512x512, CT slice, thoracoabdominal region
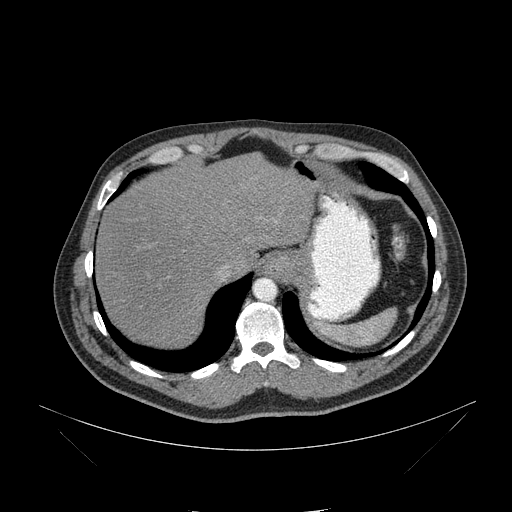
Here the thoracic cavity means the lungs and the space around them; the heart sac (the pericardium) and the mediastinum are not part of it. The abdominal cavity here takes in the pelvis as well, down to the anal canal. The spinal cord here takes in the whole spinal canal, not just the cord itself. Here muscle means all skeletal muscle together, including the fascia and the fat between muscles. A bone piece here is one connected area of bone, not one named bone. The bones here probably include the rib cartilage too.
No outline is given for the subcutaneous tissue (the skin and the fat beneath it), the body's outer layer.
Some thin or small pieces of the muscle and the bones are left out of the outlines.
The muscle is outlined by 207,408 219,408 233,404 237,402 243,396 249,395 260,388 266,389 267,388 275,388 280,392 289,394 293,397 299,399 307,399 308,398 318,399 323,397 338,395 355,389 390,372 418,352 433,338 433,336 438,331 444,320 450,295 450,289 447,280 447,272 446,271 446,262 447,261 447,248 446,246 447,243 444,239 444,233 442,230 439,216 437,213 435,205 432,202 424,185 417,174 402,159 393,154 385,152 381,149 378,149 374,146 359,141 333,135 319,134 318,133 287,132 272,129 268,127 234,127 209,133 191,134 171,138 152,144 140,151 138,151 129,158 114,167 104,178 92,201 90,209 88,212 88,215 80,239 80,245 77,249 76,259 74,261 72,267 72,273 73,274 70,289 71,291 70,293 70,308 76,334 85,349 96,360 99,361 103,365 132,381 150,387 168,396 187,403 190,403 193,405 with a hole at 194,379 217,370 221,363 218,360 233,350 235,341 240,348 230,368 237,373 251,361 263,369 271,360 297,368 300,359 288,346 309,353 312,361 325,369 344,372 348,368 345,361 390,356 409,343 430,295 440,286 441,274 434,265 436,224 423,213 406,185 407,171 396,160 337,143 312,147 302,144 290,153 257,133 257,137 242,136 204,156 200,154 203,147 197,144 166,146 146,158 150,165 125,176 120,170 104,183 96,207 102,211 94,248 84,259 95,290 95,323 103,335 109,335 132,358 128,362 135,370 158,378 165,378 158,370 189,372. The bones appear in 13 outlined pieces: piece 1: 237,373 251,361 258,362 263,369 271,360 278,360 291,368 299,366 299,357 287,347 301,349 285,332 281,313 274,306 258,301 248,302 239,313 235,323 235,341 240,348 232,357 230,364 231,370; inner edge: 260,355 264,355 265,354 268,353 270,351 271,351 272,350 272,346 270,344 269,344 266,342 260,342 259,343 256,344 253,347 253,351 254,351 255,352 258,353; piece 2: 405,184 408,184 409,182 409,176 407,171 396,160 379,152 357,150 349,146 337,143 322,143 316,144 312,147 308,144 302,144 296,146 294,149 296,153 307,153 309,151 313,155 325,159 365,159 383,168; piece 3: 151,164 160,164 161,163 167,163 168,162 175,161 183,157 185,155 186,152 189,153 196,153 197,154 198,153 201,153 203,150 203,147 197,144 189,144 184,148 180,146 166,146 153,152 146,158 146,162; piece 4: 97,210 101,210 102,209 109,197 114,192 114,191 117,188 118,185 120,183 121,180 125,176 122,170 120,170 116,173 115,173 109,179 108,179 102,186 102,188 100,192 100,195 98,199 97,206 96,207; piece 5: 334,372 344,372 346,371 348,368 346,364 344,363 341,363 340,362 332,362 331,361 328,361 327,360 323,360 322,359 319,359 313,356 311,357 311,359 312,361 317,365 325,369 327,369 330,371 333,371; piece 6: 382,357 386,357 387,356 390,356 398,352 408,343 409,343 409,342 414,336 416,332 416,330 414,328 410,331 409,331 393,347 388,349 382,354 381,354 380,356; piece 7: 158,378 165,378 165,376 162,375 156,370 144,364 142,364 133,359 129,359 129,361 128,362 130,366 131,366 135,370 143,374 145,374 149,376 153,376 154,377 157,377; piece 8: 194,379 197,379 198,378 201,378 202,377 204,377 205,376 208,376 210,375 213,372 214,372 218,369 221,363 218,361 217,362 214,362 202,368 200,368 197,370 195,370 192,372 190,372 189,374 190,376; piece 9: 89,278 91,278 91,277 92,276 92,273 93,272 93,249 90,249 86,253 86,255 85,256 85,258 84,259 84,268 85,269 85,271 86,272 86,274 87,275 87,276; piece 10: 105,336 108,336 109,335 106,330 106,328 104,325 104,323 102,320 102,318 101,317 99,312 96,309 95,309 92,311 93,318 95,321 95,323 96,324 97,327 99,329 99,330 101,332 101,333; piece 11: 432,294 434,294 437,291 437,290 439,288 439,287 440,286 440,284 441,283 441,274 440,273 440,271 437,268 436,268 435,269 435,271 434,272 434,275 433,276 433,282 432,283; piece 12: 433,238 435,238 437,235 437,229 436,228 436,224 435,223 434,220 432,218 432,217 428,214 427,215 426,215 426,219 427,220 427,223 428,224 428,226 429,227 429,230 430,231 430,232 431,233 431,235; piece 13: 224,355 227,355 229,353 230,353 233,350 233,349 234,348 234,343 233,343 231,345 231,346 228,349 228,350 226,352 226,353. The torso is outlined by 204,423 331,413 402,388 419,375 441,349 464,300 465,253 448,207 416,157 395,136 374,127 343,122 248,118 178,124 146,132 125,142 110,153 96,171 54,271 53,301 62,333 82,365 108,388 176,416. The mediastinum appears in 3 outlined pieces: piece 1: 281,312 281,301 282,300 282,297 283,294 286,291 289,290 289,288 283,282 276,278 267,276 257,271 254,272 253,273 251,287 245,297 241,309 242,306 246,302 258,300 259,301 270,303 274,305; piece 2: 370,187 371,187 365,181 362,175 362,173 361,171 358,168 357,166 357,163 358,161 359,160 361,160 361,159 355,159 354,160 331,160 335,163 336,163 344,170 345,170 351,175 352,175 358,181; piece 3: 127,186 136,182 146,173 147,173 151,170 156,168 158,166 158,165 148,165 147,166 144,167 145,167 147,169 146,170 146,171 145,172 144,172 144,173 143,174 141,174 139,176 137,176 135,178 134,178. The thoracic cavity appears in 3 outlined pieces: piece 1: 166,372 189,372 217,361 225,353 234,342 234,323 250,287 252,273 220,288 214,294 206,311 206,322 200,337 191,346 180,351 156,350 134,344 124,337 107,318 95,286 93,273 97,307 110,336 132,358; piece 2: 341,362 379,355 413,328 430,297 435,268 433,239 418,202 406,185 365,160 358,166 366,181 400,195 420,220 428,244 428,285 408,328 367,353 318,340 305,326 296,296 286,292 282,315 291,339 311,355; piece 3: 107,203 111,201 112,199 113,199 117,195 118,195 126,187 129,182 134,177 135,177 137,175 139,175 141,173 143,173 143,172 145,171 146,169 142,167 141,168 135,169 128,173 122,180 118,188 110,197. The abdominal cavity is outlined by 349,352 373,351 395,339 409,325 427,285 425,234 400,196 361,184 330,160 242,136 212,154 159,165 103,208 94,238 96,286 108,318 132,342 162,350 188,347 203,330 213,294 257,270 294,292 318,339. The spinal cord is outlined by 260,355 264,355 265,354 268,353 270,351 271,351 272,350 272,346 270,344 269,344 266,342 260,342 259,343 256,344 253,347 253,351 254,351 255,352 258,353.